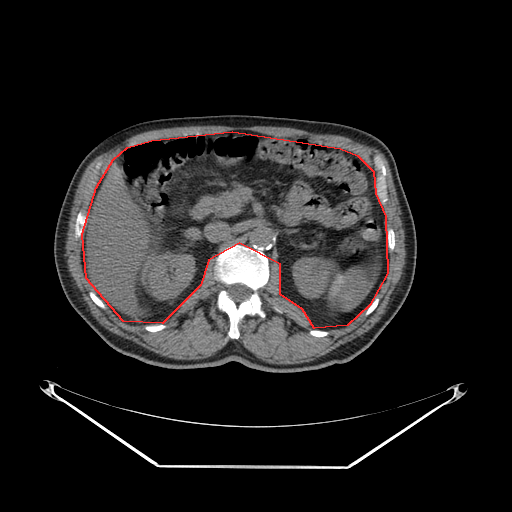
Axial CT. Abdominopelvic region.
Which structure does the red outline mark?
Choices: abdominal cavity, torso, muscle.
red: abdominal cavity.
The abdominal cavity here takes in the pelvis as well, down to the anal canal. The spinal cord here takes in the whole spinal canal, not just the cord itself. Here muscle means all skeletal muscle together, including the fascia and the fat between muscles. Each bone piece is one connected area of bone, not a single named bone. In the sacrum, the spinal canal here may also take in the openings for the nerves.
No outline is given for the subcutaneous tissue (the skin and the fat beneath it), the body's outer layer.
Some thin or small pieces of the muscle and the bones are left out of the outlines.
{"abdominal_cavity":[[[232,131],[340,148],[357,155],[373,171],[375,193],[385,216],[387,273],[369,305],[347,325],[314,328],[302,309],[280,294],[280,264],[239,243],[208,260],[200,285],[162,323],[123,321],[86,278],[82,234],[96,187],[113,159],[127,147],[151,140]]],"torso":[[[226,114],[345,124],[371,133],[391,151],[415,225],[415,273],[400,309],[371,345],[353,359],[320,369],[291,373],[261,371],[236,361],[191,369],[160,367],[113,349],[67,300],[54,262],[54,233],[70,180],[86,154],[108,136],[136,123],[160,118]]],"muscle":[{"outer":[[186,126],[228,126],[229,127],[275,126],[276,127],[289,127],[316,134],[333,134],[334,135],[344,136],[356,142],[375,147],[384,154],[390,167],[391,175],[401,211],[400,217],[402,221],[402,227],[404,230],[404,235],[405,236],[404,239],[405,244],[405,264],[402,270],[403,272],[401,275],[397,289],[390,300],[385,312],[381,316],[381,318],[369,330],[362,335],[341,344],[329,352],[310,361],[300,363],[293,363],[292,364],[276,364],[275,363],[269,363],[261,360],[253,353],[246,349],[241,343],[235,340],[230,340],[213,355],[205,358],[200,359],[175,359],[156,353],[129,339],[126,339],[115,333],[113,333],[106,329],[97,321],[91,314],[88,306],[82,298],[81,292],[76,285],[74,279],[70,274],[67,265],[67,257],[65,255],[66,251],[65,245],[67,239],[67,232],[69,227],[69,220],[71,215],[71,208],[73,205],[75,192],[81,177],[87,166],[94,158],[100,154],[110,150],[117,145],[121,144],[126,139],[130,138],[132,136],[153,130],[160,130],[176,127],[185,127]],"holes":[[[232,131],[340,148],[361,158],[376,176],[374,156],[380,156],[388,196],[384,225],[393,230],[395,246],[371,313],[365,315],[365,309],[325,336],[309,334],[310,318],[280,294],[281,266],[275,259],[258,290],[265,317],[246,314],[237,339],[228,336],[228,315],[216,306],[223,285],[214,278],[214,256],[200,285],[159,331],[127,323],[91,299],[75,222],[79,211],[88,214],[113,159],[151,140]],[[99,161],[101,161],[102,162],[102,164],[101,165],[101,166],[100,167],[100,168],[98,170],[98,171],[95,174],[95,175],[93,178],[93,182],[92,182],[92,176],[93,175],[93,170],[95,167],[95,165],[96,164],[96,163]]]}],"bones":[{"outer":[[234,244],[260,251],[266,255],[269,263],[269,278],[264,286],[258,290],[262,301],[261,308],[265,313],[265,317],[246,314],[238,324],[239,337],[237,339],[228,336],[230,325],[228,315],[216,306],[217,295],[223,285],[214,278],[215,258],[221,250]],"hole":[[237,283],[242,284],[246,286],[251,290],[251,293],[249,297],[248,297],[246,299],[240,302],[236,302],[234,300],[233,300],[229,296],[229,294],[227,290],[227,288],[230,285],[232,285],[233,284],[236,284]]},[[377,154],[379,155],[382,159],[386,169],[385,182],[387,187],[387,195],[388,196],[388,199],[384,204],[382,204],[380,202],[380,200],[378,198],[376,193],[376,176],[378,172],[375,169],[375,165],[374,164],[374,156]],[[81,210],[82,210],[83,211],[85,211],[86,212],[86,214],[87,215],[87,222],[86,223],[86,225],[85,226],[81,235],[77,239],[76,239],[74,236],[74,230],[75,229],[75,222],[76,221],[77,214],[79,212],[79,211],[80,211]],[[388,227],[390,227],[393,230],[393,231],[394,232],[394,235],[395,236],[395,246],[394,247],[394,249],[392,251],[389,251],[389,249],[388,248],[388,245],[387,244],[387,235],[386,234],[386,229]],[[90,291],[93,291],[96,294],[96,295],[98,297],[99,297],[102,300],[102,301],[106,305],[106,308],[105,309],[103,309],[102,308],[101,308],[100,307],[99,307],[91,299],[91,298],[90,297],[90,296],[89,295],[89,292]],[[150,324],[164,324],[165,325],[166,325],[167,326],[165,328],[164,328],[163,329],[162,329],[161,330],[160,330],[159,331],[156,331],[155,332],[151,332],[150,331],[148,331],[147,330],[146,330],[144,328],[144,326],[145,325],[149,325]],[[376,297],[378,297],[379,298],[379,301],[378,302],[378,304],[377,305],[377,306],[375,308],[375,309],[371,313],[370,313],[368,315],[365,315],[365,312],[366,311],[366,310],[367,309],[367,308],[370,305],[370,304],[373,301],[373,300]],[[99,161],[101,161],[102,162],[102,164],[101,165],[101,166],[100,167],[100,168],[98,170],[98,171],[95,174],[95,175],[93,178],[93,182],[92,182],[92,176],[93,175],[93,170],[95,167],[95,165],[96,164],[96,163]]],"spinal_cord":[[[237,283],[242,284],[246,286],[251,290],[251,293],[249,297],[248,297],[246,299],[240,302],[236,302],[234,300],[233,300],[229,296],[229,294],[227,290],[227,288],[230,285],[232,285],[233,284],[236,284]]]}